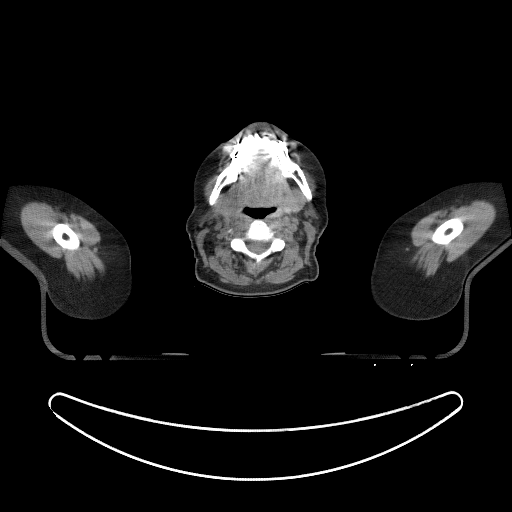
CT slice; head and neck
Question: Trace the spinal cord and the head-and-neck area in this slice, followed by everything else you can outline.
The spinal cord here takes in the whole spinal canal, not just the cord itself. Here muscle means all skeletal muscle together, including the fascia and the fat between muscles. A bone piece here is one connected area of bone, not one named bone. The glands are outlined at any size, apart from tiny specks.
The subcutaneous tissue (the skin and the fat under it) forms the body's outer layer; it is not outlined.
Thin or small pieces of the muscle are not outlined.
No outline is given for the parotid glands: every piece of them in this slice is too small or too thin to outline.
Answer: spinal cord: 249 240; 252 240; 253 241; 264 241; 265 242; 266 242; 267 241; 269 241; 270 242; 270 243; 269 244; 269 246; 264 251; 263 251; 260 253; 256 253; 255 252; 253 252; 252 251; 251 251; 247 247; 247 244; 246 243; 246 242
head and neck: 255 121; 273 123; 289 136; 308 147; 318 158; 326 179; 328 223; 316 248; 316 258; 319 266; 316 279; 275 295; 246 297; 222 293; 197 280; 194 273; 195 259; 185 223; 193 207; 193 182; 202 160; 221 142; 231 138; 244 126; inner edge: 245 208; 273 208; 273 210; 272 210; 271 211; 270 211; 269 212; 269 213; 268 213; 267 214; 266 214; 263 217; 253 217; 252 216; 251 216; 250 215; 248 215; 248 214; 247 213; 246 213; 246 212; 244 210; 245 209
right arm: 17 183; 41 184; 67 191; 94 208; 122 233; 130 250; 133 287; 129 299; 119 311; 109 317; 98 320; 78 319; 62 313; 51 302; 48 297; 47 288; 45 285; 20 255; 12 247; 0 239; 2 233; 3 214; 8 190; 11 184
bones 1: 247 132; 261 137; 272 133; 286 143; 289 156; 303 171; 312 195; 310 201; 296 182; 285 177; 271 163; 269 154; 259 148; 245 170; 221 189; 213 205; 209 204; 216 178; 231 160; 223 146; 235 145; 236 136; 242 133; 239 140
bones 2: 257 218; 262 219; 268 225; 272 226; 275 229; 279 228; 285 242; 285 245; 281 250; 273 252; 264 258; 259 265; 254 265; 254 261; 252 259; 241 252; 235 251; 230 246; 230 241; 234 236; 240 232; 243 232; 250 223; 254 219, around a hole outlined by 249 240; 252 240; 253 241; 264 241; 265 242; 266 242; 267 241; 269 241; 270 242; 270 243; 269 244; 269 246; 264 251; 263 251; 260 253; 256 253; 255 252; 253 252; 252 251; 251 251; 247 247; 247 244; 246 243; 246 242
bones 3: 453 217; 460 217; 461 218; 463 222; 463 229; 462 231; 446 245; 443 245; 442 244; 437 244; 433 241; 432 241; 431 240; 431 236; 433 232; 437 227; 437 226; 438 226; 445 220; 447 219; 449 219; 450 218; 452 218
bones 4: 59 222; 62 222; 63 223; 67 223; 70 226; 70 227; 76 233; 77 233; 79 235; 79 241; 80 243; 79 244; 78 248; 74 249; 73 250; 70 250; 69 249; 65 249; 55 241; 53 237; 50 234; 49 231; 56 223; 58 223
left arm: 482 180; 499 181; 501 183; 507 207; 510 237; 480 262; 466 277; 462 295; 453 309; 446 314; 424 320; 408 320; 392 316; 383 311; 376 305; 370 295; 369 280; 378 245; 384 232; 389 225; 396 218; 406 211; 446 188; 465 182
muscle 1: 262 127; 293 142; 312 167; 319 225; 311 265; 293 279; 233 286; 205 271; 196 243; 203 186; 220 152; 230 160; 215 178; 210 206; 259 149; 295 182; 307 202; 313 198; 284 140; 272 132; 261 136; 248 131; 239 139; 246 130; inner edge: 245 208; 273 208; 269 213; 258 218; 275 229; 279 228; 285 242; 285 245; 281 250; 273 252; 264 258; 259 265; 254 265; 252 259; 241 252; 235 251; 230 246; 231 239; 240 232; 243 232; 250 223; 257 218; 248 215; 244 210
muscle 2: 30 201; 45 202; 52 206; 58 206; 63 211; 74 212; 93 223; 98 229; 101 236; 102 259; 106 265; 105 273; 103 275; 98 274; 92 281; 77 281; 67 273; 58 259; 50 256; 35 245; 23 230; 19 217; 21 207; 25 203, around a hole outlined by 59 222; 62 222; 63 223; 67 223; 70 226; 70 227; 76 233; 77 233; 79 235; 79 241; 80 243; 79 244; 78 248; 74 249; 73 250; 70 250; 69 249; 65 249; 55 241; 53 237; 50 234; 49 231; 56 223; 58 223
muscle 3: 476 199; 487 200; 493 203; 496 208; 496 217; 489 228; 461 256; 452 262; 444 263; 433 276; 425 277; 419 270; 416 271; 415 268; 409 264; 409 259; 406 251; 411 229; 416 222; 422 217; 435 210; 451 205; 459 206; 467 204 with a hole at 453 217; 460 217; 461 218; 463 222; 463 229; 462 231; 446 245; 443 245; 442 244; 437 244; 433 241; 432 241; 431 240; 431 236; 433 232; 437 227; 437 226; 438 226; 445 220; 447 219; 449 219; 450 218; 452 218